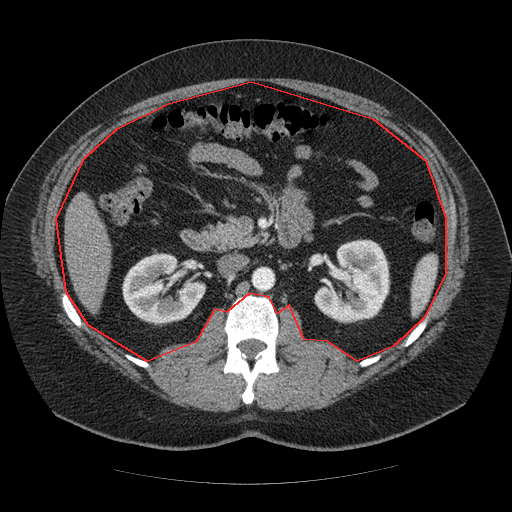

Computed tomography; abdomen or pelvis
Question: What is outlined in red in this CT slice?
Answer: red: abdominal cavity.
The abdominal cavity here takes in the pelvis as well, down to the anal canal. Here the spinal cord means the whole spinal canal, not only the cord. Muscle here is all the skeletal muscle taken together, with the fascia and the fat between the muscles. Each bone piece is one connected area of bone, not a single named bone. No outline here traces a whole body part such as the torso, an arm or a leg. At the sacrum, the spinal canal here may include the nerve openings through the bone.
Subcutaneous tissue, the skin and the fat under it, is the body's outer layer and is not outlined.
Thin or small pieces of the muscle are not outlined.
Outlines (x, y in pixels):
abdominal cavity: (251, 81) (372, 118) (425, 160) (445, 218) (445, 273) (424, 317) (393, 346) (357, 361) (327, 341) (304, 339) (289, 305) (277, 313) (269, 297) (249, 293) (226, 312) (214, 309) (195, 342) (147, 361) (88, 325) (66, 292) (56, 219) (84, 158) (117, 128) (168, 103)
spinal cord: (249, 339) (255, 339) (256, 340) (261, 341) (265, 344) (265, 347) (263, 349) (257, 352) (253, 356) (252, 358) (253, 359) (253, 361) (252, 362) (247, 360) (248, 356) (245, 353) (241, 351) (241, 350) (238, 347) (238, 344) (241, 341) (243, 341) (244, 340) (248, 340)
bones 1: (249, 294) (269, 298) (277, 314) (279, 328) (276, 338) (276, 359) (279, 371) (269, 374) (259, 373) (253, 385) (254, 399) (252, 403) (245, 404) (241, 397) (246, 386) (243, 376) (240, 373) (224, 373) (222, 370) (227, 353) (227, 335) (223, 329) (229, 307) (238, 297); inner edge: (249, 339) (255, 339) (256, 340) (261, 341) (265, 344) (265, 347) (263, 349) (257, 352) (253, 356) (252, 358) (253, 359) (253, 361) (252, 362) (247, 360) (248, 356) (245, 353) (241, 351) (241, 350) (238, 347) (238, 344) (241, 341) (243, 341) (244, 340) (248, 340)
bones 2: (63, 292) (65, 292) (67, 294) (73, 306) (75, 308) (76, 311) (78, 313) (80, 318) (83, 321) (86, 327) (86, 329) (82, 327) (78, 327) (76, 326) (67, 316) (66, 313) (64, 311) (62, 307) (62, 302) (61, 301) (61, 294)
bones 3: (424, 318) (427, 318) (427, 324) (426, 325) (426, 327) (424, 329) (424, 330) (421, 333) (421, 334) (410, 345) (409, 345) (407, 347) (404, 347) (403, 346) (402, 346) (402, 344) (405, 341) (405, 340) (406, 339) (407, 336) (410, 333) (410, 332) (417, 325) (417, 324)
bones 4: (451, 199) (455, 206) (455, 219) (456, 220) (456, 229) (455, 230) (455, 241) (453, 244) (453, 247) (452, 249) (448, 249) (448, 242) (449, 241) (449, 237) (450, 236) (450, 224) (451, 223) (451, 221) (450, 220) (450, 211) (449, 210) (449, 208) (451, 204)
bones 5: (125, 353) (130, 354) (135, 357) (137, 357) (140, 359) (145, 360) (147, 362) (148, 362) (151, 366) (151, 369) (150, 370) (150, 371) (149, 371) (145, 368) (140, 367) (139, 366) (134, 364) (129, 360) (126, 359) (124, 357) (124, 354)
bones 6: (378, 353) (380, 353) (381, 354) (381, 357) (376, 362) (375, 362) (368, 366) (366, 366) (365, 367) (360, 367) (359, 366) (357, 366) (357, 364) (358, 363) (358, 362) (359, 362) (361, 360) (362, 360) (365, 358) (370, 357) (371, 356) (374, 356) (375, 355) (376, 355)
muscle: (235, 77) (312, 81) (393, 110) (429, 136) (465, 195) (468, 264) (444, 330) (405, 366) (319, 410) (271, 411) (251, 404) (259, 374) (280, 371) (278, 307) (287, 305) (297, 313) (304, 340) (327, 342) (365, 368) (383, 350) (405, 338) (401, 346) (407, 348) (422, 334) (446, 273) (446, 218) (432, 172) (407, 140) (372, 117) (270, 81) (245, 81) (168, 102) (117, 127) (83, 158) (65, 188) (53, 252) (65, 288) (60, 301) (66, 316) (78, 328) (86, 330) (85, 323) (123, 350) (126, 360) (150, 372) (149, 362) (162, 351) (195, 343) (212, 312) (225, 309) (221, 370) (240, 374) (245, 382) (240, 397) (246, 405) (237, 410) (179, 407) (96, 363) (59, 327) (33, 269) (29, 240) (37, 196) (71, 143) (150, 96), around a hole outlined by (451, 199) (455, 206) (455, 219) (456, 220) (456, 229) (455, 230) (455, 241) (453, 244) (453, 247) (452, 249) (448, 249) (448, 242) (449, 241) (449, 237) (450, 236) (450, 224) (451, 223) (451, 221) (450, 220) (450, 211) (449, 210) (449, 208) (451, 204)